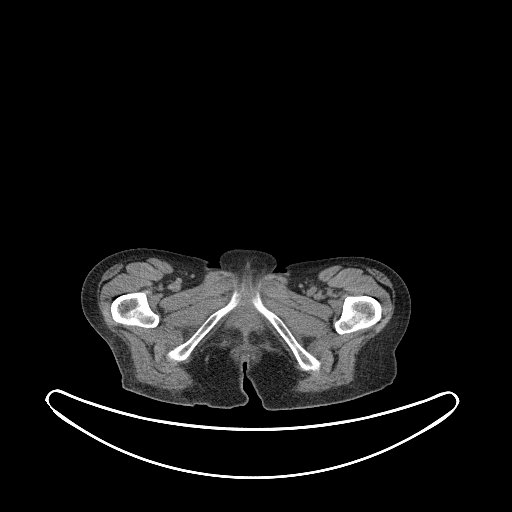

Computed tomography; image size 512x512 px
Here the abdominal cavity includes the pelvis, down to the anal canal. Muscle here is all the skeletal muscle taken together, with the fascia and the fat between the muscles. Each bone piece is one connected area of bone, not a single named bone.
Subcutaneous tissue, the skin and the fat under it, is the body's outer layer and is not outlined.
Outlines (x, y in pixels):
torso: [[130,248],[168,250],[211,266],[226,250],[258,249],[277,259],[277,271],[337,256],[378,260],[398,273],[411,299],[395,350],[397,374],[390,385],[359,398],[290,410],[265,409],[247,378],[247,403],[229,409],[126,390],[80,294],[96,263]]
abdominal cavity: [[246,348],[252,348],[253,349],[254,349],[256,351],[256,356],[255,356],[254,357],[250,357],[249,356],[248,357],[247,357],[247,356],[246,355],[245,355],[244,356],[244,357],[242,357],[241,354],[239,352],[241,350],[241,349],[245,349]]
bones 1: [[348,295],[367,295],[375,298],[381,305],[381,309],[382,310],[381,311],[381,318],[375,324],[370,327],[364,328],[363,329],[359,329],[352,332],[344,333],[343,334],[338,333],[335,330],[334,322],[339,318],[342,311],[342,305],[344,299],[345,297]]
bones 2: [[138,291],[144,291],[145,292],[150,308],[159,316],[159,322],[155,327],[149,327],[146,328],[145,327],[141,327],[135,325],[124,325],[121,323],[116,322],[112,318],[111,311],[110,310],[112,301],[117,296],[119,296],[122,294],[137,292]]
bones 3: [[257,291],[260,294],[260,297],[263,304],[268,309],[276,314],[287,326],[296,340],[308,352],[320,361],[321,364],[319,370],[317,371],[314,371],[313,370],[304,371],[300,367],[293,352],[284,339],[279,334],[273,325],[253,305],[251,301],[251,298]]
bones 4: [[234,290],[237,290],[240,293],[240,299],[238,304],[234,308],[222,316],[218,320],[213,327],[198,342],[186,359],[182,361],[176,361],[175,360],[171,360],[169,359],[167,356],[167,353],[176,346],[186,341],[213,312],[224,306],[229,301]]
muscle: [[149,257],[198,277],[229,271],[253,278],[270,274],[297,284],[336,263],[358,262],[382,272],[390,280],[395,292],[394,312],[383,330],[361,348],[354,378],[345,385],[319,392],[295,391],[292,388],[299,373],[268,328],[261,327],[247,337],[261,351],[261,357],[235,361],[230,351],[244,338],[221,325],[185,366],[196,383],[181,390],[161,388],[136,379],[127,346],[105,325],[97,304],[98,283],[107,269],[120,261]], around holes outlined by [[348,295],[367,295],[375,298],[381,305],[381,309],[382,310],[381,311],[381,318],[375,324],[370,327],[364,328],[363,329],[359,329],[352,332],[344,333],[343,334],[338,333],[335,330],[334,322],[339,318],[342,311],[342,305],[344,299],[345,297]] and by [[138,291],[144,291],[145,292],[150,308],[159,316],[159,322],[155,327],[149,327],[146,328],[145,327],[141,327],[135,325],[124,325],[121,323],[116,322],[112,318],[111,311],[110,310],[112,301],[117,296],[119,296],[122,294],[137,292]] and by [[257,291],[260,294],[260,297],[263,304],[268,309],[276,314],[287,326],[296,340],[308,352],[320,361],[321,364],[319,370],[317,371],[314,371],[313,370],[304,371],[300,367],[293,352],[284,339],[279,334],[273,325],[253,305],[251,301],[251,298]] and by [[234,290],[237,290],[240,293],[240,299],[238,304],[234,308],[222,316],[218,320],[213,327],[198,342],[186,359],[182,361],[176,361],[175,360],[171,360],[169,359],[167,356],[167,353],[176,346],[186,341],[213,312],[224,306],[229,301]] and by [[246,348],[252,348],[253,349],[254,349],[256,351],[256,356],[255,356],[254,357],[250,357],[249,356],[248,357],[247,357],[247,356],[246,355],[245,355],[244,356],[244,357],[242,357],[241,354],[239,352],[241,350],[241,349],[245,349]]